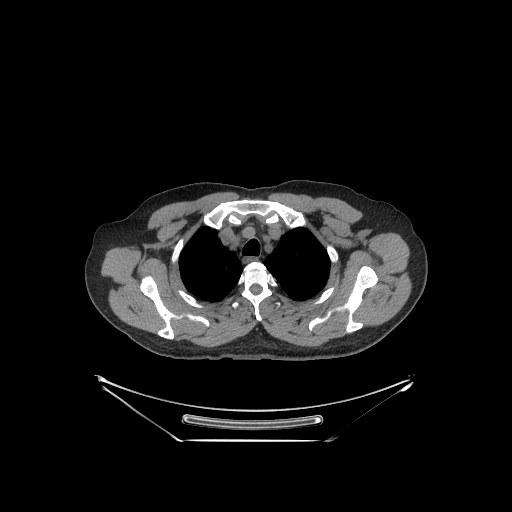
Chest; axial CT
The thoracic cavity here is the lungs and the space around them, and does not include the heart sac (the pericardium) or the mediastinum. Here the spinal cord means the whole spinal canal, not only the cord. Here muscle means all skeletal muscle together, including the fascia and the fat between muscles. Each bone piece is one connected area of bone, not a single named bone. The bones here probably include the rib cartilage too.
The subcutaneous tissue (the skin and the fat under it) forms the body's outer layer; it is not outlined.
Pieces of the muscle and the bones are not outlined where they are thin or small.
right arm: 120,219 122,219 127,224 130,232 130,243 126,253 119,260 115,262 108,263 100,266 94,266 89,268 84,268 85,260 92,244 93,234 97,227 105,222 113,221 114,220 119,220
bones 1: 243,198 266,199 285,204 302,213 306,221 306,227 299,226 289,228 282,220 267,224 264,221 265,218 263,216 256,214 248,214 242,216 242,221 240,224 233,224 225,219 219,229 202,225 203,216 218,204
bones 2: 364,265 374,269 377,282 364,290 361,303 353,313 353,318 362,322 363,326 356,331 346,333 345,325 348,311 334,311 326,321 315,325 310,331 308,325 311,319 323,316 328,309 342,305 347,300 357,273
bones 3: 253,261 259,261 263,263 279,286 279,289 276,290 272,295 266,297 259,303 259,313 261,316 260,321 258,321 255,317 254,307 251,302 248,299 243,297 239,293 238,289 236,287 237,282 243,268 248,263; inner edge: 253,284 257,284 258,285 259,285 261,287 261,291 259,293 258,293 257,294 254,294 250,290 250,287
bones 4: 147,275 154,279 159,295 170,311 177,315 189,312 204,316 208,320 209,325 206,326 185,316 180,319 172,318 170,324 174,332 174,339 171,340 159,336 156,332 165,323 158,313 154,302 139,287 142,278
bones 5: 179,289 181,289 182,290 184,290 186,291 189,294 192,295 195,298 196,298 200,302 203,302 203,304 204,306 202,308 198,308 197,307 195,307 194,306 192,306 188,304 180,296 180,295 178,293 177,291
bones 6: 181,237 184,237 185,239 187,240 187,241 184,244 179,254 179,257 178,258 178,262 177,263 178,266 176,266 174,265 171,261 171,255 172,254 172,252 173,251 173,249 174,248 174,246 175,244
bones 7: 331,286 334,286 335,287 335,288 334,289 332,294 327,299 326,299 323,302 322,302 321,303 319,303 318,304 313,304 313,303 312,302 312,300 313,300 316,297 317,297 324,289 325,289 326,288 328,288
bones 8: 327,244 331,244 336,249 336,250 337,251 337,253 338,254 338,259 337,260 337,261 332,265 331,265 331,262 330,261 330,259 328,256 328,254 327,253 327,251 326,250 326,248 325,247 327,245
bones 9: 234,301 235,301 236,301 237,301 238,301 238,302 239,303 239,304 238,305 238,306 237,307 236,308 235,308 234,308 233,307 232,306 231,305 231,304 232,303 233,302
mediastinum: 248,215 263,217 263,221 267,225 282,221 289,229 280,237 275,248 266,256 263,262 259,260 253,260 248,262 243,267 237,254 221,242 218,237 218,230 221,228 225,220 230,224 240,225 243,221 242,217
left arm: 383,201 386,201 392,204 405,213 410,219 415,232 421,238 425,245 425,248 427,253 427,263 426,264 416,268 399,268 384,262 375,253 371,246 371,243 370,242 370,229 371,228 372,219 375,211 377,207
spinal cord: 253,284 257,284 258,285 259,285 261,287 261,291 259,293 258,293 257,294 254,294 250,290 250,287
thoracic cavity 1: 299,227 305,227 310,230 313,235 325,248 327,256 330,262 329,276 325,287 319,294 306,300 296,300 293,299 282,291 280,289 280,286 278,282 264,264 265,259 276,248 281,237 290,229 294,229
thoracic cavity 2: 201,226 206,226 212,229 217,230 217,237 220,242 226,248 236,254 236,256 242,267 242,270 236,282 235,288 219,301 199,300 192,294 189,293 182,281 178,267 179,266 178,263 179,262 180,254 185,244
muscle: 220,191 250,197 218,203 170,255 186,290 176,291 188,305 202,309 200,301 219,302 236,288 260,322 260,303 278,290 296,301 315,297 313,305 333,294 336,287 326,285 337,249 322,244 301,211 256,197 274,192 338,198 363,213 354,230 396,230 410,251 413,286 406,302 384,323 363,327 354,313 365,290 378,282 375,269 364,264 346,300 307,325 311,332 334,312 347,311 348,334 310,347 260,328 205,347 173,340 172,319 206,327 210,322 170,310 147,274 138,287 164,325 155,334 125,323 106,300 100,272 106,251 156,242 147,228 155,210; inner edge: 234,301 235,301 236,301 237,301 238,301 238,302 239,303 239,304 238,305 238,306 237,307 236,308 235,308 234,308 233,307 232,306 231,305 231,304 232,303 233,302
torso: 292,179 338,183 383,200 370,223 369,242 374,253 399,269 416,269 428,263 420,298 376,344 356,354 328,359 175,359 131,340 91,302 84,269 115,263 127,253 131,232 123,218 149,196 202,181 254,188